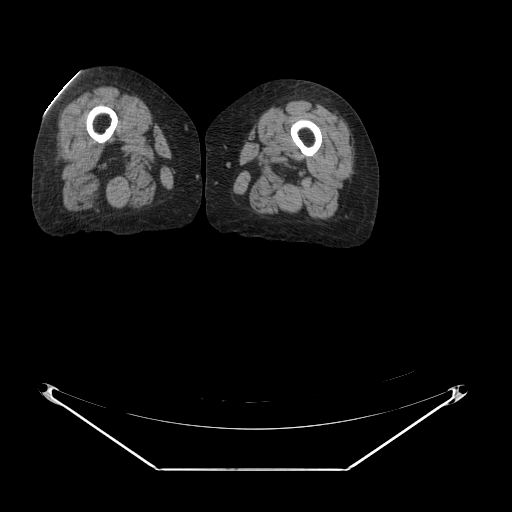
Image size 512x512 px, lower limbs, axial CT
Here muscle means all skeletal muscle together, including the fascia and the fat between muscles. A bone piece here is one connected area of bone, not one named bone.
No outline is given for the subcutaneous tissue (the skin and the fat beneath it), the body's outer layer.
The bones appear in 2 outlined pieces: piece 1: [[100,105],[106,105],[113,109],[116,113],[117,117],[118,118],[118,122],[114,130],[113,134],[110,137],[110,138],[104,143],[99,143],[95,141],[89,135],[86,129],[86,122],[85,121],[86,120],[86,115],[88,113],[88,112],[93,107],[97,107]]; piece 2: [[300,119],[308,119],[315,123],[320,128],[320,130],[322,134],[322,144],[318,151],[313,156],[305,156],[301,152],[299,148],[294,143],[291,137],[291,134],[290,133],[290,128],[291,127],[291,125],[297,120],[299,120]]. The right leg is outlined by [[103,64],[124,66],[146,76],[171,96],[195,125],[201,157],[201,202],[195,217],[185,227],[164,231],[144,231],[125,236],[109,232],[78,231],[64,237],[55,237],[44,233],[38,226],[31,205],[31,178],[33,149],[41,118],[58,94],[80,70]]. The muscle appears in 2 outlined pieces: piece 1: [[106,83],[124,87],[147,99],[150,102],[168,129],[180,173],[179,182],[177,189],[165,199],[132,213],[118,213],[114,215],[91,217],[86,219],[80,217],[70,218],[64,213],[59,202],[56,177],[55,149],[59,112],[62,106],[78,91],[85,87]] with a hole at [[100,105],[106,105],[113,109],[116,113],[117,117],[118,118],[118,122],[114,130],[113,134],[110,137],[110,138],[104,143],[99,143],[95,141],[89,135],[86,129],[86,122],[85,121],[86,120],[86,115],[88,113],[88,112],[93,107],[97,107]]; piece 2: [[299,99],[304,99],[313,103],[317,102],[332,111],[336,111],[347,123],[354,141],[354,174],[350,180],[338,218],[327,225],[317,225],[307,222],[281,221],[267,217],[260,217],[251,211],[244,209],[235,201],[230,192],[243,142],[259,116],[273,105]], around a hole outlined by [[300,119],[308,119],[315,123],[320,128],[320,130],[322,134],[322,144],[318,151],[313,156],[305,156],[301,152],[299,148],[294,143],[291,137],[291,134],[290,133],[290,128],[291,127],[291,125],[297,120],[299,120]]. The left leg is outlined by [[277,78],[305,79],[324,85],[343,97],[360,117],[373,145],[380,175],[374,228],[362,245],[332,249],[303,242],[247,238],[236,233],[220,233],[208,221],[206,199],[204,195],[202,197],[202,184],[206,178],[206,130],[218,113],[234,100],[255,86]].